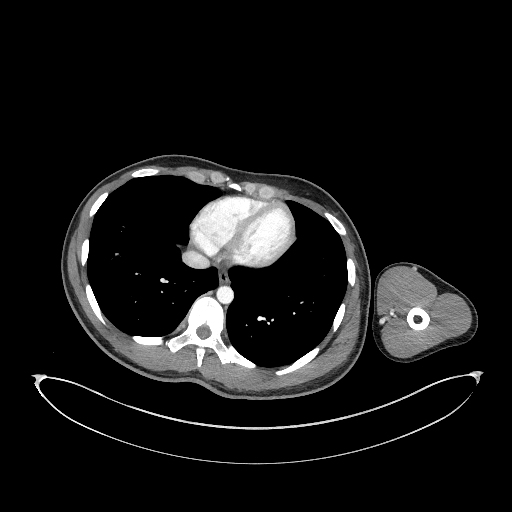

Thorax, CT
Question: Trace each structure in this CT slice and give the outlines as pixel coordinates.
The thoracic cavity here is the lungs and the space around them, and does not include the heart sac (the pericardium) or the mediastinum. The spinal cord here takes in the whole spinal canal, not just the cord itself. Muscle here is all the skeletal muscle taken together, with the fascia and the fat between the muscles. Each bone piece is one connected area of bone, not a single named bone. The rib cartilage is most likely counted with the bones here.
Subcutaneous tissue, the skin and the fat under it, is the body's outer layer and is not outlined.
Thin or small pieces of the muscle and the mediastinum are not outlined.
Answer: mediastinum: (225, 311) (234, 296) (228, 272) (231, 268) (237, 267) (221, 266) (209, 260) (193, 247) (189, 238) (186, 245) (183, 246) (178, 244) (177, 245) (181, 250) (181, 259) (186, 265) (196, 269) (214, 267) (217, 270) (219, 283) (216, 288) (209, 290) (206, 293) (217, 298)
bones 1: (248, 368) (254, 368) (256, 364) (225, 343) (221, 336) (225, 312) (217, 299) (205, 293) (192, 303) (177, 327) (184, 329) (177, 335) (166, 340) (162, 336) (131, 337) (144, 345) (165, 344) (171, 352) (194, 344) (198, 367) (205, 348) (210, 347) (221, 363) (233, 362), around a hole outlined by (201, 338) (205, 338) (206, 337) (207, 337) (210, 334) (210, 331) (209, 330) (209, 328) (206, 325) (202, 325) (201, 326) (200, 326) (199, 327) (198, 327) (197, 328) (197, 329) (196, 330) (196, 332) (197, 333) (197, 334)
bones 2: (249, 194) (256, 189) (253, 183) (241, 187) (236, 182) (232, 182) (229, 177) (224, 177) (216, 171) (212, 171) (209, 174) (209, 182) (206, 183) (206, 176) (204, 174) (198, 171) (186, 172) (186, 177) (194, 182) (221, 185) (226, 181) (228, 188) (237, 191) (244, 190)
bones 3: (415, 330) (422, 330) (424, 329) (428, 325) (429, 323) (429, 320) (430, 319) (429, 315) (427, 313) (427, 312) (424, 309) (423, 309) (419, 306) (415, 306) (411, 308) (407, 313) (407, 315) (406, 316) (406, 319) (407, 320) (408, 324) (410, 326) (410, 327) (411, 327)
bones 4: (277, 375) (282, 375) (286, 373) (289, 373) (294, 370) (296, 370) (298, 368) (301, 367) (307, 363) (317, 354) (320, 349) (319, 345) (317, 345) (308, 351) (305, 354) (294, 361) (291, 364) (287, 366) (284, 366) (282, 368) (280, 368) (276, 370) (275, 371) (275, 374)
bones 5: (103, 324) (105, 323) (104, 316) (98, 305) (98, 303) (93, 293) (93, 291) (91, 288) (91, 286) (90, 284) (89, 283) (86, 283) (85, 284) (85, 292) (86, 293) (86, 296) (87, 297) (87, 299) (95, 315)
bones 6: (340, 235) (344, 235) (346, 233) (346, 231) (345, 230) (345, 228) (344, 227) (344, 226) (342, 224) (342, 223) (335, 216) (334, 216) (329, 212) (328, 212) (327, 211) (326, 211) (324, 213) (324, 216) (328, 220) (328, 221) (331, 224) (331, 225) (334, 228) (334, 229)
bones 7: (351, 286) (353, 286) (355, 284) (355, 280) (356, 279) (356, 273) (355, 272) (355, 265) (354, 264) (354, 262) (353, 261) (353, 260) (350, 257) (347, 257) (347, 258) (346, 259) (346, 267) (347, 268) (347, 282)
bones 8: (132, 177) (142, 177) (143, 176) (150, 176) (151, 175) (156, 175) (159, 173) (160, 170) (158, 168) (156, 168) (155, 167) (144, 167) (143, 168) (140, 168) (139, 169) (137, 169) (136, 170) (135, 170) (133, 172) (132, 172) (132, 173) (131, 174) (131, 176)
bones 9: (333, 331) (335, 331) (337, 329) (343, 317) (343, 315) (345, 311) (345, 303) (344, 302) (342, 302) (340, 304) (335, 314) (335, 316) (334, 317) (334, 319) (332, 323) (332, 326) (331, 327)
bones 10: (90, 217) (93, 217) (94, 214) (97, 211) (97, 210) (99, 208) (101, 204) (107, 197) (108, 195) (108, 192) (107, 191) (105, 191) (103, 192) (100, 195) (99, 195) (99, 196) (95, 200) (95, 201) (91, 206) (90, 208) (90, 210) (89, 211) (89, 216)
bones 11: (81, 265) (85, 265) (86, 264) (86, 261) (87, 260) (87, 256) (88, 255) (88, 252) (89, 251) (89, 239) (88, 238) (85, 238) (84, 239) (84, 240) (83, 241) (83, 242) (82, 243) (82, 245) (81, 246) (81, 256) (80, 257) (80, 263) (81, 264)
bones 12: (262, 199) (271, 199) (274, 196) (274, 195) (275, 194) (275, 191) (271, 187) (270, 187) (269, 186) (263, 186) (262, 187) (261, 187) (260, 188) (259, 188) (257, 190) (257, 191) (258, 192) (258, 193) (259, 194) (259, 196)
left arm: (406, 363) (415, 362) (447, 348) (464, 344) (471, 339) (475, 334) (478, 325) (478, 317) (476, 309) (471, 300) (459, 289) (429, 269) (419, 264) (407, 261) (400, 261) (388, 264) (382, 268) (375, 278) (371, 327) (373, 338) (378, 349) (387, 358) (396, 362) (405, 362)
torso: (247, 400) (288, 399) (319, 391) (343, 377) (358, 358) (365, 340) (373, 283) (365, 249) (353, 222) (331, 194) (309, 180) (247, 171) (192, 155) (156, 155) (107, 175) (77, 206) (62, 245) (63, 288) (80, 325) (108, 356) (141, 375) (160, 381) (194, 382) (225, 398)
muscle 1: (239, 391) (298, 385) (328, 373) (345, 361) (358, 330) (361, 285) (357, 260) (347, 232) (340, 236) (346, 257) (350, 256) (354, 260) (355, 262) (357, 273) (356, 284) (353, 287) (347, 284) (342, 301) (346, 303) (342, 322) (335, 332) (329, 330) (312, 360) (296, 371) (277, 376) (274, 371) (283, 366) (248, 369) (233, 363) (223, 365) (213, 350) (206, 348) (198, 368) (194, 345) (187, 345) (175, 353) (165, 345) (140, 345) (105, 316) (103, 325) (90, 308) (84, 292) (84, 284) (88, 282) (86, 265) (79, 263) (80, 246) (83, 239) (89, 237) (93, 219) (88, 211) (99, 194) (105, 190) (110, 193) (132, 178) (130, 174) (134, 170) (100, 187) (80, 215) (67, 256) (69, 280) (85, 315) (115, 350) (141, 366) (168, 374) (198, 370) (213, 384)
muscle 2: (397, 357) (410, 357) (448, 338) (458, 336) (464, 333) (471, 324) (470, 310) (462, 298) (456, 294) (447, 292) (441, 287) (433, 284) (415, 268) (407, 266) (396, 266) (388, 269) (381, 276) (377, 288) (377, 313) (380, 317) (379, 323) (381, 326) (381, 340) (387, 351) with a hole at (415, 330) (422, 330) (424, 329) (428, 325) (429, 323) (429, 320) (430, 319) (429, 315) (427, 313) (427, 312) (424, 309) (423, 309) (419, 306) (415, 306) (411, 308) (407, 313) (407, 315) (406, 316) (406, 319) (407, 320) (408, 324) (410, 326) (410, 327) (411, 327)
muscle 3: (322, 216) (323, 213) (327, 210) (322, 205) (305, 197) (294, 195) (286, 189) (265, 183) (249, 181) (237, 182) (241, 186) (244, 186) (249, 182) (253, 182) (256, 184) (257, 189) (263, 185) (269, 185) (276, 191) (276, 194) (273, 199) (277, 198) (291, 199) (297, 201)
muscle 4: (206, 182) (208, 182) (208, 174) (212, 170) (213, 170) (216, 170) (220, 172) (224, 176) (228, 176) (221, 171) (202, 167) (197, 167) (192, 165) (183, 165) (174, 168) (159, 165) (145, 166) (158, 167) (161, 170) (159, 174) (175, 174) (183, 176) (185, 176) (185, 172) (188, 170) (198, 170) (207, 176)
muscle 5: (165, 339) (166, 339) (167, 338) (168, 338) (169, 337) (170, 337) (171, 336) (172, 336) (175, 334) (177, 334) (179, 332) (180, 332) (183, 329) (181, 329) (178, 331) (176, 329) (176, 328) (175, 328) (173, 330) (170, 331) (167, 334) (166, 334) (163, 336) (165, 338)
spinal cord: (201, 338) (205, 338) (206, 337) (207, 337) (210, 334) (210, 331) (209, 330) (209, 328) (206, 325) (202, 325) (201, 326) (200, 326) (199, 327) (198, 327) (197, 328) (197, 329) (196, 330) (196, 332) (197, 333) (197, 334)
thoracic cavity 1: (131, 335) (167, 333) (177, 326) (198, 295) (216, 287) (216, 270) (196, 270) (186, 266) (180, 259) (180, 250) (176, 245) (187, 243) (190, 222) (208, 201) (221, 194) (217, 188) (197, 184) (175, 175) (133, 178) (109, 194) (95, 214) (89, 238) (89, 282) (104, 315)
thoracic cavity 2: (262, 366) (287, 365) (318, 344) (331, 326) (347, 283) (346, 258) (339, 235) (325, 218) (291, 200) (288, 200) (287, 204) (295, 219) (297, 239) (288, 250) (268, 268) (249, 269) (238, 267) (231, 269) (229, 272) (235, 296) (226, 312) (227, 335) (240, 353) (257, 365)
pericardium: (248, 267) (269, 266) (275, 262) (287, 250) (293, 243) (296, 237) (293, 216) (289, 208) (283, 202) (279, 200) (262, 200) (257, 198) (252, 198) (249, 196) (238, 193) (222, 195) (208, 202) (196, 214) (190, 224) (191, 242) (194, 247) (206, 257) (221, 265) (247, 266)